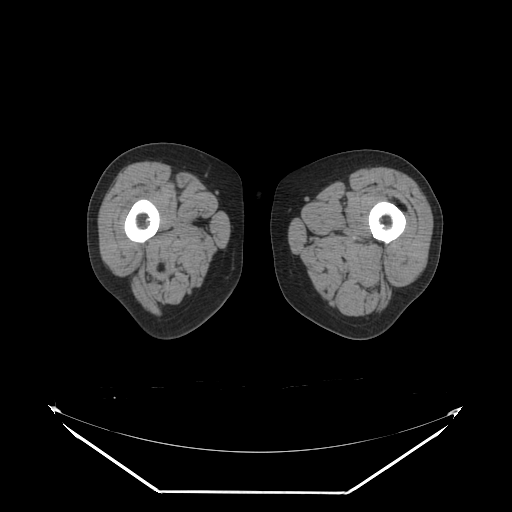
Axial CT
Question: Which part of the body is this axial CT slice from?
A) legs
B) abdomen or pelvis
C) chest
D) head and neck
Answer: A) legs
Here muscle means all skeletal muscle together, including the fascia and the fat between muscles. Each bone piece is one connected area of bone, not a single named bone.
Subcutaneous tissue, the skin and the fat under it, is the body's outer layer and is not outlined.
The bones appear in 2 outlined pieces: piece 1: (379, 201) (389, 201) (395, 204) (403, 212) (405, 216) (406, 223) (405, 224) (404, 230) (399, 236) (388, 243) (385, 243) (380, 240) (378, 240) (374, 238) (371, 233) (371, 231) (369, 228) (369, 225) (368, 224) (368, 214) (369, 213) (369, 211) (370, 209) (377, 202); piece 2: (139, 199) (147, 199) (149, 200) (157, 208) (159, 212) (159, 226) (158, 227) (157, 231) (153, 236) (150, 237) (147, 240) (142, 243) (140, 242) (136, 242) (135, 241) (131, 240) (126, 235) (124, 231) (124, 221) (125, 220) (126, 215) (128, 213) (131, 206) (137, 200). The left leg is outlined by (361, 148) (379, 149) (397, 154) (409, 161) (422, 173) (430, 184) (440, 204) (443, 215) (443, 233) (438, 265) (425, 290) (385, 332) (371, 339) (354, 340) (340, 336) (317, 325) (298, 313) (286, 301) (275, 276) (269, 223) (273, 195) (282, 177) (290, 171) (324, 156). The right leg is outlined by (150, 142) (175, 142) (192, 146) (209, 153) (231, 165) (240, 176) (243, 186) (244, 239) (243, 264) (240, 279) (223, 305) (205, 322) (193, 331) (169, 340) (156, 339) (145, 333) (125, 308) (101, 285) (92, 270) (86, 243) (86, 213) (88, 202) (103, 170) (122, 152). The muscle appears in 2 outlined pieces: piece 1: (375, 166) (385, 166) (399, 170) (417, 183) (432, 211) (433, 232) (428, 261) (420, 276) (393, 297) (385, 310) (377, 318) (366, 323) (348, 323) (332, 314) (315, 294) (306, 280) (295, 256) (289, 249) (287, 229) (291, 219) (308, 198) (311, 198) (330, 183) (357, 169); inner edge: (379, 201) (389, 201) (395, 204) (403, 212) (405, 216) (406, 223) (405, 224) (404, 230) (399, 236) (388, 243) (385, 243) (380, 240) (378, 240) (374, 238) (371, 233) (371, 231) (369, 228) (369, 225) (368, 224) (368, 214) (369, 213) (369, 211) (370, 209) (377, 202); piece 2: (145, 160) (171, 163) (197, 176) (215, 194) (228, 215) (231, 225) (228, 244) (213, 263) (208, 277) (202, 287) (184, 309) (160, 318) (145, 311) (135, 299) (130, 288) (117, 276) (111, 273) (101, 259) (98, 245) (97, 216) (106, 192) (118, 172) (123, 167) (133, 162), around a hole outlined by (139, 199) (147, 199) (149, 200) (157, 208) (159, 212) (159, 226) (158, 227) (157, 231) (153, 236) (150, 237) (147, 240) (142, 243) (140, 242) (136, 242) (135, 241) (131, 240) (126, 235) (124, 231) (124, 221) (125, 220) (126, 215) (128, 213) (131, 206) (137, 200).